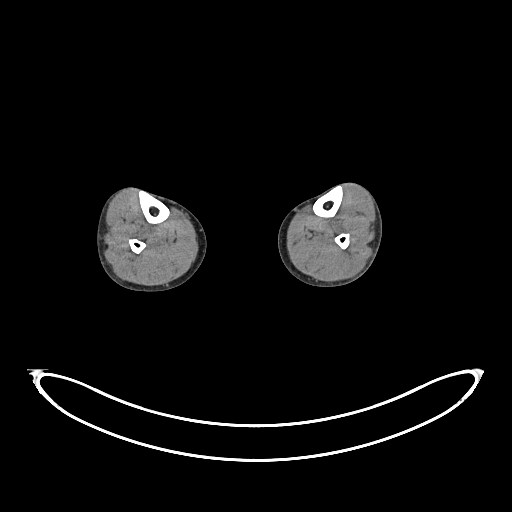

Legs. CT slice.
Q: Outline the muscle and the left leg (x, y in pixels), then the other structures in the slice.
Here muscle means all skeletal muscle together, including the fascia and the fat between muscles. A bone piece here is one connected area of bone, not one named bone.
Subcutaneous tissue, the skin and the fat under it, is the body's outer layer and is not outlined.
A: The muscle appears in 2 outlined pieces: piece 1: (125, 190) (137, 190) (140, 209) (149, 224) (155, 225) (166, 220) (170, 215) (168, 206) (173, 206) (189, 217) (195, 229) (198, 242) (195, 260) (183, 275) (165, 285) (142, 285) (126, 281) (115, 274) (106, 260) (103, 252) (103, 238) (107, 208) (110, 201) (118, 193); inner edge: (130, 238) (136, 238) (137, 239) (138, 239) (139, 240) (140, 240) (141, 241) (142, 241) (145, 243) (145, 246) (144, 247) (144, 248) (139, 253) (136, 253) (135, 252) (134, 252) (131, 249) (131, 248) (130, 247) (130, 245) (128, 242) (128, 240); piece 2: (345, 185) (358, 186) (367, 194) (373, 203) (376, 223) (374, 246) (364, 266) (353, 276) (335, 281) (315, 280) (300, 272) (291, 262) (286, 247) (287, 229) (291, 219) (298, 210) (312, 203) (312, 211) (315, 215) (322, 218) (332, 218) (342, 203) (344, 196) (343, 186), around a hole outlined by (340, 233) (349, 233) (349, 244) (348, 245) (348, 246) (345, 249) (342, 249) (339, 246) (339, 245) (338, 244) (337, 244) (337, 243) (335, 241) (335, 237) (337, 235) (338, 235). The left leg is outlined by (345, 181) (361, 184) (367, 188) (374, 196) (382, 217) (382, 238) (379, 249) (375, 259) (367, 271) (350, 283) (334, 287) (318, 287) (306, 284) (294, 277) (286, 269) (280, 258) (277, 246) (277, 234) (279, 226) (286, 214) (298, 203) (330, 186) (333, 186) (334, 184). The bones appear in 4 outlined pieces: piece 1: (139, 189) (144, 189) (148, 192) (151, 193) (156, 198) (162, 201) (168, 207) (169, 209) (169, 215) (166, 219) (159, 223) (156, 223) (155, 224) (149, 223) (146, 220) (143, 214) (143, 212) (141, 209) (140, 203) (139, 202) (139, 197) (138, 196) (138, 190); piece 2: (336, 184) (341, 184) (342, 185) (342, 189) (343, 190) (343, 196) (341, 200) (341, 203) (336, 213) (332, 217) (322, 217) (321, 216) (319, 216) (315, 214) (313, 211) (313, 203) (315, 201) (315, 200) (319, 196) (325, 193) (328, 190) (329, 190) (330, 188) (331, 188); piece 3: (340, 233) (349, 233) (349, 244) (348, 245) (348, 246) (345, 249) (342, 249) (339, 246) (339, 245) (338, 244) (337, 244) (337, 243) (335, 241) (335, 237) (337, 235) (338, 235); piece 4: (130, 238) (136, 238) (137, 239) (138, 239) (139, 240) (140, 240) (141, 241) (142, 241) (145, 243) (145, 246) (144, 247) (144, 248) (139, 253) (136, 253) (135, 252) (134, 252) (131, 249) (131, 248) (130, 247) (130, 245) (128, 242) (128, 240). The right leg is outlined by (126, 186) (135, 186) (175, 200) (190, 210) (200, 221) (204, 229) (207, 241) (207, 247) (205, 256) (203, 261) (195, 273) (181, 285) (164, 291) (136, 291) (120, 286) (114, 282) (104, 271) (99, 261) (96, 247) (96, 231) (100, 211) (104, 202) (110, 194) (114, 191).